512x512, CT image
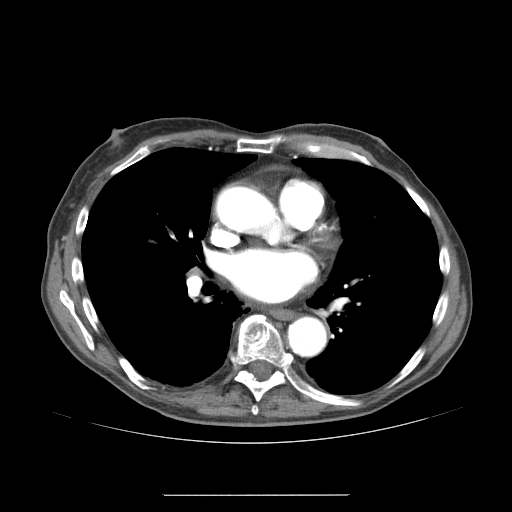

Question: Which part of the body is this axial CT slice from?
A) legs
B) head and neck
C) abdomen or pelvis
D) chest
Answer: D) chest
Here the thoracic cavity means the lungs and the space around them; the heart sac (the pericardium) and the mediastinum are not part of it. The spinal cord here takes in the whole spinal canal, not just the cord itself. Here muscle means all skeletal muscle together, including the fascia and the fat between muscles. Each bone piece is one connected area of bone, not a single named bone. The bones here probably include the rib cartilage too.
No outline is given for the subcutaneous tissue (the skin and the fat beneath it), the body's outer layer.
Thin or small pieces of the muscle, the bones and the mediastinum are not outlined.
{"torso":[[[173,116],[213,119],[255,132],[296,123],[333,123],[378,136],[399,155],[441,203],[463,242],[471,270],[473,307],[469,327],[440,374],[363,416],[311,424],[237,427],[164,416],[139,404],[80,363],[57,336],[40,298],[48,224],[77,167],[113,128]]],"bones":[{"outer":[[255,313],[263,314],[278,331],[283,348],[293,357],[293,369],[305,381],[328,393],[360,400],[361,404],[321,402],[305,396],[287,380],[267,390],[256,403],[258,413],[253,414],[254,396],[244,384],[233,380],[236,371],[228,353],[236,348],[239,322]],"hole":[[256,360],[264,360],[268,363],[269,363],[272,366],[272,372],[271,373],[271,374],[267,378],[266,378],[265,379],[263,379],[262,380],[259,380],[258,379],[257,379],[256,378],[256,377],[249,370],[249,366],[250,365],[250,364],[252,362],[253,362]]},[[302,141],[311,141],[314,143],[333,144],[340,147],[343,147],[352,150],[365,156],[367,159],[371,162],[373,166],[366,165],[358,161],[353,161],[347,159],[316,157],[307,154],[300,154],[299,153],[298,154],[298,152],[295,146],[298,142],[301,142]],[[275,134],[282,134],[284,136],[285,136],[287,138],[287,139],[285,141],[280,143],[275,148],[274,151],[271,153],[262,153],[261,152],[237,152],[235,150],[236,148],[236,140],[239,137],[248,137],[249,138],[267,138]],[[61,289],[65,290],[69,297],[72,300],[76,314],[80,319],[81,322],[85,328],[92,336],[93,343],[94,344],[94,349],[93,350],[91,350],[87,346],[84,336],[77,322],[71,314],[68,308],[65,305],[64,305],[60,300],[59,298],[59,292]],[[421,345],[423,345],[425,347],[425,352],[421,360],[418,363],[418,364],[405,377],[404,377],[397,383],[394,384],[390,387],[387,387],[387,386],[391,382],[393,378],[400,371],[400,370],[405,365],[405,364],[410,359],[410,358],[413,355],[413,354]],[[121,355],[123,356],[130,363],[133,368],[140,375],[144,377],[147,380],[147,383],[149,385],[152,386],[154,388],[153,389],[150,389],[149,390],[143,389],[136,385],[127,376],[126,373],[124,371],[118,361],[118,357]],[[144,145],[148,145],[151,148],[151,152],[149,154],[148,154],[143,158],[140,159],[138,161],[131,164],[129,166],[126,167],[124,169],[121,170],[114,175],[110,176],[110,172],[115,167],[116,167],[118,165],[122,163],[125,160],[126,160],[140,147]],[[442,292],[446,292],[447,293],[448,295],[448,303],[447,304],[447,307],[446,308],[446,310],[445,311],[445,313],[442,320],[437,326],[435,326],[432,323],[432,317],[433,316],[433,313],[434,312],[435,307],[437,304],[438,299],[440,296],[440,294]],[[84,296],[88,296],[89,297],[91,301],[91,303],[94,308],[94,310],[97,315],[97,317],[99,320],[99,322],[100,323],[98,325],[98,328],[99,329],[98,333],[94,330],[93,327],[91,325],[84,312],[83,306],[82,305],[82,298]],[[74,256],[77,256],[79,257],[81,260],[81,263],[82,264],[82,269],[83,270],[83,276],[84,277],[84,282],[82,283],[80,283],[79,282],[77,283],[75,283],[72,278],[72,275],[71,274],[71,262]],[[405,184],[407,184],[410,187],[411,187],[422,197],[422,198],[424,200],[424,201],[427,205],[427,207],[430,213],[430,217],[428,217],[420,209],[420,208],[417,205],[417,204],[414,201],[414,200],[405,189],[404,187],[404,185]],[[442,245],[445,245],[447,247],[447,249],[448,250],[448,252],[449,253],[449,272],[448,273],[448,274],[447,275],[443,275],[442,274],[442,273],[441,272],[441,271],[440,270],[440,268],[439,267],[439,249],[440,248],[440,247]],[[84,205],[86,205],[89,208],[89,211],[88,212],[88,215],[87,216],[87,221],[86,222],[86,224],[85,225],[85,227],[84,228],[83,233],[80,236],[77,236],[75,233],[76,222],[77,221],[77,218],[78,217],[79,212],[81,208]]],"muscle":[{"outer":[[203,128],[253,137],[239,136],[235,140],[234,150],[226,150],[213,145],[178,145],[152,151],[148,144],[140,146],[109,172],[111,177],[101,188],[90,208],[86,204],[80,208],[74,228],[75,235],[81,236],[80,257],[77,255],[72,257],[70,274],[75,284],[85,283],[88,295],[81,298],[81,305],[87,320],[98,334],[101,324],[121,354],[117,357],[119,365],[136,386],[147,391],[153,390],[155,388],[148,383],[148,380],[176,387],[190,386],[230,365],[235,371],[232,380],[244,385],[253,396],[255,402],[251,405],[250,411],[254,415],[251,416],[209,416],[159,402],[136,392],[78,350],[60,326],[46,296],[46,282],[55,240],[79,204],[92,179],[147,138]],"hole":[[61,289],[65,290],[69,297],[72,300],[76,314],[80,319],[81,322],[85,328],[92,336],[93,343],[94,344],[94,349],[93,350],[91,350],[87,346],[84,336],[77,322],[71,314],[68,308],[65,305],[64,305],[60,300],[59,298],[59,292]]},[[421,195],[433,205],[455,245],[465,288],[467,310],[454,344],[421,376],[365,407],[298,417],[266,418],[256,415],[259,413],[257,403],[263,395],[287,381],[302,395],[315,401],[358,407],[362,404],[360,399],[345,396],[370,392],[390,380],[386,386],[390,388],[419,364],[426,352],[422,343],[432,324],[437,327],[445,316],[449,295],[441,290],[443,276],[450,272],[448,247],[445,244],[439,247],[430,220],[430,210]],[[284,133],[326,135],[357,144],[369,151],[381,164],[401,174],[417,191],[407,183],[403,186],[401,185],[387,173],[375,167],[365,155],[333,143],[314,142],[311,140],[298,141],[294,146],[297,152],[296,155],[275,150],[280,144],[288,139],[283,134]]],"mediastinum":[[[216,272],[241,298],[262,306],[292,306],[313,294],[306,300],[306,304],[319,310],[329,330],[330,336],[323,351],[303,365],[294,361],[293,355],[286,351],[279,331],[263,313],[248,314],[238,322],[237,318],[249,308],[242,308],[234,293],[220,288]],[[275,151],[295,156],[299,154],[311,156],[298,156],[294,158],[292,162],[312,177],[310,177],[296,167],[281,164],[268,164],[250,169],[249,171],[241,175],[233,177],[220,185],[217,185],[229,175],[245,167],[257,158],[257,156],[254,153],[246,153],[261,153],[271,154]]],"pericardium":[[[268,165],[281,165],[296,168],[310,178],[319,181],[333,201],[333,206],[339,217],[342,237],[342,243],[337,250],[325,281],[313,293],[301,301],[283,307],[262,305],[241,297],[213,268],[212,260],[206,245],[206,234],[210,224],[214,188],[250,170]]],"spinal_cord":[[[256,360],[264,360],[268,363],[269,363],[272,366],[272,372],[271,373],[271,374],[267,378],[266,378],[265,379],[263,379],[262,380],[259,380],[258,379],[257,379],[256,378],[256,377],[249,370],[249,366],[250,365],[250,364],[252,362],[253,362]]],"thoracic_cavity":[[[178,146],[213,146],[223,151],[256,156],[212,189],[203,239],[219,288],[234,294],[240,307],[248,310],[236,318],[235,348],[227,353],[230,364],[201,381],[185,386],[146,378],[116,348],[89,296],[81,259],[82,235],[89,212],[105,184],[152,152]],[[298,157],[347,160],[382,171],[402,186],[429,218],[436,236],[442,282],[429,330],[399,371],[367,392],[328,392],[309,383],[293,367],[293,362],[304,366],[321,354],[329,342],[326,318],[307,300],[328,279],[343,243],[334,197],[318,179],[293,162]]]}